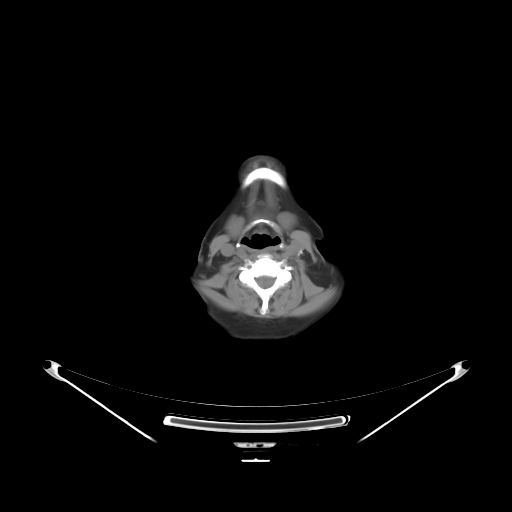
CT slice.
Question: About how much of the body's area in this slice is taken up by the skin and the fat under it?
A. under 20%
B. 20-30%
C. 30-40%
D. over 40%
Answer: C. 30-40%
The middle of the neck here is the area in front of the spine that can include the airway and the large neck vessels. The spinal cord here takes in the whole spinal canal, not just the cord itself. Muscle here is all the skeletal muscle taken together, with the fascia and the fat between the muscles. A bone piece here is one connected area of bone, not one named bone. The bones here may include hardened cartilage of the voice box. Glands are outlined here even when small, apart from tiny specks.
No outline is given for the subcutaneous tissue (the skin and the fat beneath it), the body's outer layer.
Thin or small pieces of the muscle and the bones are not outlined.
{"muscle":[{"outer":[[256,180],[268,180],[283,189],[288,186],[290,192],[289,199],[301,221],[312,236],[313,251],[325,275],[325,285],[326,286],[327,284],[332,283],[337,284],[339,287],[339,292],[336,297],[327,306],[313,314],[303,317],[279,317],[266,319],[227,311],[212,303],[204,296],[196,284],[196,279],[201,277],[201,274],[205,269],[209,243],[222,227],[223,223],[238,202],[238,191],[240,185],[242,188],[246,188]],"holes":[[[261,253],[269,253],[278,261],[286,259],[286,262],[292,267],[291,279],[273,293],[268,301],[268,311],[264,315],[261,315],[259,311],[262,304],[260,297],[252,288],[242,284],[238,278],[240,272],[238,267],[241,266],[246,259],[255,260],[257,255]],[[260,218],[267,219],[275,224],[276,229],[274,231],[280,237],[282,242],[282,246],[271,251],[250,250],[246,249],[242,244],[239,246],[237,246],[236,245],[237,243],[239,243],[243,237],[248,235],[250,230],[246,229],[250,223],[252,221]],[[236,214],[239,214],[245,220],[245,221],[244,222],[244,225],[242,227],[241,232],[239,233],[237,237],[234,239],[230,237],[227,234],[227,232],[226,231],[226,225],[229,219],[233,215],[235,215]],[[282,211],[288,211],[290,213],[291,213],[292,214],[293,214],[296,217],[296,218],[298,220],[298,223],[293,228],[292,228],[290,230],[286,230],[279,223],[279,222],[277,220],[277,215],[278,214],[278,213],[279,213],[280,212],[281,212]]]},[[257,159],[268,159],[269,160],[272,160],[281,168],[281,169],[283,171],[283,174],[282,174],[279,171],[271,167],[269,167],[265,165],[261,165],[260,166],[255,167],[250,170],[242,178],[241,181],[241,174],[243,170],[250,162],[254,160],[256,160]]],"submandibular_glands":[[[236,214],[239,214],[245,220],[245,221],[244,222],[244,225],[242,227],[241,232],[239,233],[237,237],[234,239],[230,237],[227,234],[227,232],[226,231],[226,225],[229,219],[233,215],[235,215]],[[282,211],[288,211],[290,213],[291,213],[292,214],[293,214],[296,217],[296,218],[298,220],[298,223],[293,228],[292,228],[290,230],[286,230],[279,223],[279,222],[277,220],[277,215],[278,214],[278,213],[279,213],[280,212],[281,212]]],"head_and_neck":[{"outer":[[259,153],[275,155],[287,165],[299,200],[323,229],[325,237],[317,243],[318,249],[326,258],[341,265],[347,279],[347,295],[339,310],[319,327],[291,341],[236,341],[218,333],[210,325],[187,277],[196,262],[206,229],[228,200],[236,169],[245,158]],"hole":[[255,234],[258,234],[261,236],[262,234],[266,234],[268,236],[270,236],[270,238],[271,239],[278,237],[279,238],[279,242],[275,244],[266,245],[263,248],[251,247],[244,242],[242,242],[242,240],[245,237],[248,238],[250,240],[252,238],[252,236]]}],"spinal_cord":[[[261,276],[267,276],[268,277],[273,277],[274,278],[274,281],[273,282],[273,283],[270,286],[269,286],[268,287],[262,287],[261,286],[260,286],[258,284],[258,283],[256,281],[256,278],[257,278],[258,277],[260,277]]],"middle_of_the_neck":[{"outer":[[260,223],[266,224],[274,230],[281,239],[282,242],[281,242],[279,245],[281,247],[277,249],[274,249],[271,251],[262,251],[261,250],[260,251],[259,250],[246,249],[245,247],[241,244],[240,242],[241,239],[243,237],[247,236],[250,230],[254,226]],"hole":[[255,234],[258,234],[261,236],[262,234],[266,234],[268,236],[270,236],[270,238],[271,239],[278,237],[279,238],[279,242],[275,244],[266,245],[263,248],[251,247],[244,242],[242,242],[242,240],[245,237],[248,238],[250,240],[252,238],[252,236]]}],"bones":[{"outer":[[261,253],[269,253],[278,261],[286,259],[286,262],[292,267],[291,279],[273,293],[268,301],[268,311],[264,315],[261,315],[259,311],[262,304],[260,297],[252,288],[242,284],[238,278],[240,272],[238,267],[241,266],[246,259],[255,260],[257,255]],"hole":[[261,276],[267,276],[268,277],[273,277],[274,278],[274,281],[273,282],[273,283],[270,286],[269,286],[268,287],[262,287],[261,286],[260,286],[258,284],[258,283],[256,281],[256,278],[257,278],[258,277],[260,277]]},[[261,166],[265,166],[266,167],[271,168],[279,172],[282,175],[283,175],[286,180],[287,186],[285,188],[283,188],[276,183],[268,179],[256,179],[246,187],[242,187],[241,186],[241,182],[243,178],[250,171],[251,171],[255,168],[257,168]],[[260,218],[262,218],[263,219],[267,219],[273,222],[276,226],[276,229],[274,229],[272,228],[266,223],[264,223],[263,222],[260,222],[254,225],[251,228],[247,230],[246,229],[247,227],[252,221],[256,219],[259,219]]]}